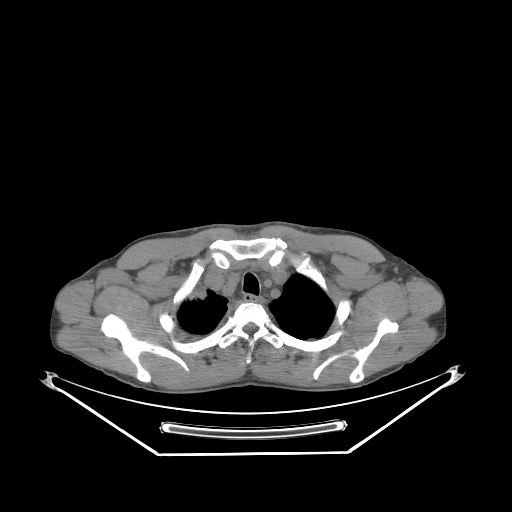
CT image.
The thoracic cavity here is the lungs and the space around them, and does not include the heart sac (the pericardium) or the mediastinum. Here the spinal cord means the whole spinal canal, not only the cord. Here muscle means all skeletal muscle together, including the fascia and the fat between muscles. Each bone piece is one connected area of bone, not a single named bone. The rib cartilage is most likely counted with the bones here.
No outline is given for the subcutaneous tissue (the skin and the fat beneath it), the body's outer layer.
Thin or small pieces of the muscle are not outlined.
{"thoracic_cavity":[[[295,273],[297,273],[304,276],[316,284],[331,300],[333,305],[335,307],[334,315],[327,331],[323,336],[319,338],[316,338],[315,339],[302,339],[286,332],[274,321],[273,318],[268,312],[269,306],[272,301],[280,297],[283,292],[285,283]],[[199,281],[203,282],[206,290],[209,289],[216,294],[226,298],[227,307],[229,309],[231,308],[233,311],[231,314],[227,316],[225,321],[220,326],[215,328],[206,335],[196,340],[185,341],[182,336],[182,331],[178,326],[176,315],[181,304],[189,297]]],"muscle":[[[271,225],[361,238],[388,262],[432,284],[442,298],[438,333],[410,359],[365,378],[363,367],[381,338],[399,329],[384,316],[366,344],[333,353],[313,369],[316,381],[334,361],[353,358],[347,384],[300,386],[249,372],[204,387],[148,384],[152,376],[143,353],[170,359],[188,373],[175,351],[224,349],[240,338],[248,365],[259,339],[276,349],[315,354],[338,341],[342,329],[325,335],[344,323],[351,301],[341,298],[335,306],[311,256],[289,250],[279,236],[217,238],[207,256],[191,262],[172,297],[175,319],[166,311],[157,317],[173,350],[137,337],[113,312],[102,318],[101,332],[118,340],[137,380],[57,343],[60,293],[115,263],[134,244],[210,228],[249,233]],[[177,326],[179,328],[179,329],[181,331],[181,336],[183,338],[183,339],[184,340],[184,341],[180,341],[179,340],[177,340],[174,337],[173,337],[173,334],[174,333],[174,330],[175,329],[175,328]],[[230,257],[232,259],[233,259],[235,261],[242,261],[243,260],[245,260],[244,260],[243,261],[243,262],[242,262],[241,263],[240,263],[239,264],[238,264],[237,265],[236,265],[235,266],[232,266],[231,267],[231,261],[230,260]]],"torso":[[[269,220],[335,227],[364,234],[435,280],[446,301],[446,336],[413,363],[373,383],[349,390],[301,392],[248,385],[204,393],[167,394],[122,383],[52,347],[50,340],[75,302],[69,280],[98,261],[112,256],[130,241],[154,232],[210,223],[248,224]]],"right_arm":[[[68,280],[73,290],[73,293],[74,294],[74,302],[71,308],[71,310],[69,312],[66,318],[63,321],[59,329],[56,333],[50,339],[49,339],[49,336],[48,335],[49,317],[50,316],[50,311],[52,307],[53,300],[54,299],[55,294],[58,289]]],"bones":[{"outer":[[242,302],[261,304],[283,331],[302,340],[342,330],[333,345],[317,353],[285,344],[276,348],[259,338],[248,364],[249,347],[240,337],[224,348],[214,345],[196,353],[175,350],[187,372],[170,358],[143,352],[139,359],[151,376],[146,383],[137,379],[136,366],[119,340],[106,336],[100,328],[103,318],[113,313],[137,338],[173,351],[172,336],[161,326],[160,313],[166,312],[176,321],[173,338],[192,342],[220,327]],"hole":[[250,322],[251,322],[252,323],[255,324],[257,326],[257,327],[258,328],[257,329],[257,330],[256,331],[255,331],[251,335],[250,335],[248,333],[245,332],[243,330],[243,327],[245,325],[246,325],[248,323],[249,323]]},[[258,237],[279,237],[289,251],[307,253],[323,275],[330,298],[316,283],[296,272],[286,258],[271,266],[267,262],[268,254],[242,260],[230,256],[230,266],[226,269],[210,260],[188,297],[175,307],[174,294],[189,274],[192,262],[207,257],[212,242]],[[384,317],[397,322],[398,329],[396,332],[386,333],[380,338],[362,367],[364,378],[361,381],[351,383],[348,378],[357,364],[357,360],[350,356],[334,360],[321,371],[318,379],[313,378],[314,369],[331,355],[366,345],[372,339],[378,323]],[[341,299],[348,299],[350,301],[350,306],[351,307],[351,310],[350,311],[348,316],[341,325],[337,325],[336,324],[335,324],[334,325],[331,325],[331,324],[333,321],[334,316],[335,315],[335,311],[336,310],[336,306],[339,302],[339,301]]],"mediastinum":[[[247,259],[259,259],[261,263],[267,263],[271,267],[285,263],[295,271],[284,283],[279,297],[271,301],[267,310],[261,303],[255,301],[242,301],[234,309],[229,308],[226,297],[209,288],[206,289],[206,285],[200,280],[208,266],[214,265],[226,270]]],"spinal_cord":[[[250,322],[251,322],[252,323],[255,324],[257,326],[257,327],[258,328],[257,329],[257,330],[256,331],[255,331],[251,335],[250,335],[248,333],[245,332],[243,330],[243,327],[245,325],[246,325],[248,323],[249,323]]]}